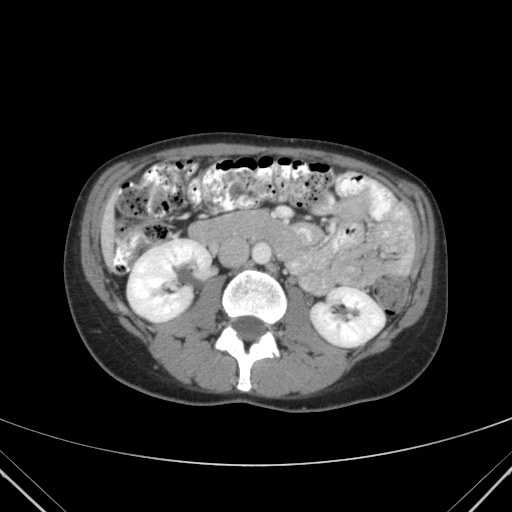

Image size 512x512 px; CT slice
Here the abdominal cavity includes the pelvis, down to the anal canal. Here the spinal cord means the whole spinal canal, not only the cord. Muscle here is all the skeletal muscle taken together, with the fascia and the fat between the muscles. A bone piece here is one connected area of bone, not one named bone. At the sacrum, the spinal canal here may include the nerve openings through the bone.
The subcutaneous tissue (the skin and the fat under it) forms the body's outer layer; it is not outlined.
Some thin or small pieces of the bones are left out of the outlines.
Outlines (x, y in pixels):
bones: [[244,392],[251,388],[249,371],[252,363],[258,359],[280,355],[271,327],[283,316],[287,307],[285,292],[279,282],[268,273],[255,269],[242,270],[231,278],[225,286],[221,302],[229,321],[214,343],[216,349],[227,351],[237,360],[239,377],[236,387]]; inner edge: [[249,343],[253,341],[257,341],[259,337],[264,332],[265,332],[265,331],[267,329],[267,325],[264,322],[263,322],[261,320],[254,316],[239,316],[238,317],[236,317],[233,320],[232,324],[234,328],[237,331],[238,333],[238,336],[245,342],[248,342]]
muscle: [[283,399],[311,396],[331,385],[362,359],[385,350],[404,329],[419,320],[432,287],[436,241],[433,211],[423,190],[366,161],[302,147],[193,144],[122,160],[108,167],[94,183],[81,221],[80,261],[85,279],[118,322],[146,346],[160,367],[186,387],[209,393],[243,392],[235,387],[236,360],[213,347],[228,321],[220,302],[224,276],[210,278],[196,302],[173,320],[148,324],[134,316],[104,273],[99,253],[99,225],[105,203],[115,187],[155,160],[268,152],[314,157],[355,169],[377,179],[407,206],[416,252],[406,304],[365,347],[349,350],[324,341],[307,319],[308,303],[301,290],[293,285],[286,287],[287,310],[272,327],[281,355],[253,363],[252,388],[246,393]]
abdominal cavity: [[349,349],[373,340],[404,306],[415,252],[406,206],[377,180],[314,158],[258,153],[155,161],[115,188],[100,225],[100,253],[134,315],[168,321],[195,302],[210,277],[224,275],[224,287],[237,272],[255,268],[285,291],[288,284],[299,287],[316,332]]
spinal cord: [[249,343],[253,341],[257,341],[259,337],[264,332],[265,332],[265,331],[267,329],[267,325],[264,322],[263,322],[261,320],[254,316],[239,316],[238,317],[236,317],[233,320],[232,324],[234,328],[237,331],[238,333],[238,336],[245,342],[248,342]]
torso: [[287,413],[327,412],[392,395],[415,381],[432,361],[447,321],[448,251],[442,215],[430,188],[399,164],[356,146],[239,131],[173,136],[126,150],[103,162],[87,178],[76,198],[62,262],[70,314],[90,355],[114,379],[153,397],[198,406],[247,403]]